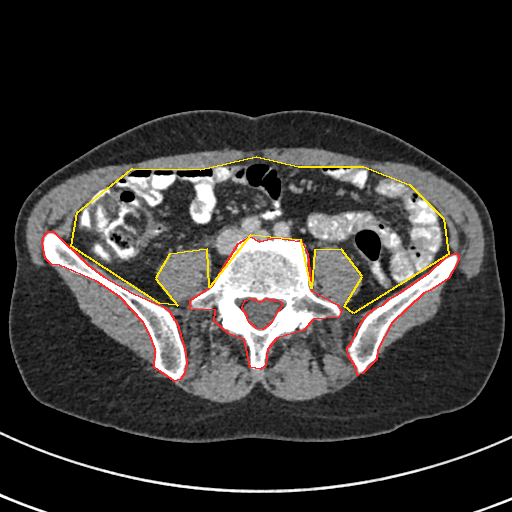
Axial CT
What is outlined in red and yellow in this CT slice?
red: bones; yellow: abdominal cavity.
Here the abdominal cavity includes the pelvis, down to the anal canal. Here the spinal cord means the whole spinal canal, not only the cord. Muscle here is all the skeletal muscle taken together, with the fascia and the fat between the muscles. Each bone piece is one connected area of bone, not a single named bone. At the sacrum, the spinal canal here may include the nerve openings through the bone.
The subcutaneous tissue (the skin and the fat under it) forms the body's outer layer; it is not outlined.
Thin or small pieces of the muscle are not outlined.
{"bones":[{"outer":[[250,236],[259,241],[275,237],[301,241],[307,253],[311,290],[337,304],[341,311],[338,317],[313,319],[303,330],[276,338],[267,349],[265,365],[260,369],[250,367],[244,339],[229,334],[214,321],[215,310],[190,309],[190,300],[212,285],[238,243]],"hole":[[250,298],[252,299],[255,299],[258,301],[261,301],[266,298],[268,299],[274,299],[275,300],[280,301],[282,304],[280,308],[276,312],[271,322],[267,326],[262,329],[256,328],[249,322],[247,318],[247,316],[242,308],[242,306],[245,300]]},[[48,231],[53,231],[87,264],[103,276],[133,293],[163,306],[169,311],[177,324],[185,352],[186,363],[184,373],[180,379],[174,381],[154,367],[155,349],[150,335],[143,322],[119,296],[96,281],[59,265],[51,264],[45,258],[42,242],[44,235]],[[453,253],[456,253],[458,255],[458,260],[448,278],[430,290],[423,293],[391,323],[377,349],[376,359],[362,373],[357,375],[356,368],[348,355],[347,347],[351,343],[359,325],[366,315],[374,308],[383,304],[389,298],[397,294],[429,272],[445,257]]],"abdominal_cavity":[[[256,156],[298,166],[363,166],[409,184],[443,218],[448,254],[353,313],[344,306],[362,276],[341,249],[314,250],[311,288],[301,240],[250,235],[209,287],[207,249],[169,254],[155,278],[177,305],[159,303],[71,246],[77,212],[132,168],[200,169]]],"muscle":[[[273,147],[319,148],[370,160],[411,164],[431,171],[453,184],[466,195],[478,213],[483,228],[484,255],[477,275],[460,286],[447,288],[435,316],[413,327],[377,358],[378,349],[392,323],[423,294],[449,278],[459,255],[456,252],[449,254],[448,226],[423,191],[367,166],[330,163],[298,165],[256,155],[200,168],[132,167],[96,190],[79,208],[67,236],[70,246],[53,230],[45,232],[41,242],[44,258],[51,265],[94,281],[119,297],[142,322],[149,335],[154,349],[153,367],[169,378],[154,377],[144,370],[131,350],[90,322],[52,267],[38,268],[31,260],[26,243],[26,226],[32,209],[50,189],[74,175],[107,165],[135,163],[168,155],[225,148],[251,151]],[[323,246],[341,250],[361,276],[359,290],[345,309],[355,314],[373,308],[346,347],[357,376],[351,383],[296,401],[258,384],[244,397],[222,403],[192,395],[172,381],[183,377],[187,360],[178,324],[164,306],[178,304],[156,278],[164,259],[190,248],[209,252],[208,288],[189,300],[189,309],[215,311],[213,321],[243,339],[249,367],[260,370],[276,339],[303,331],[313,320],[342,314],[337,303],[312,290],[313,254]],[[76,252],[85,258],[89,262],[95,264],[99,268],[102,269],[108,274],[124,282],[127,282],[136,286],[142,292],[158,303],[154,302],[145,297],[139,295],[137,293],[133,292],[131,290],[116,283],[111,279],[103,275],[95,268],[87,263]]],"torso":[[[194,109],[251,116],[307,109],[355,119],[419,148],[478,193],[493,225],[505,328],[495,367],[471,403],[391,432],[356,439],[246,438],[188,443],[93,423],[44,405],[30,394],[8,337],[16,269],[14,227],[23,201],[51,173],[105,140],[156,117]]],"spinal_cord":[[[250,298],[252,299],[255,299],[258,301],[261,301],[266,298],[268,299],[274,299],[275,300],[280,301],[282,304],[280,308],[276,312],[271,322],[267,326],[262,329],[256,328],[249,322],[247,318],[247,316],[242,308],[242,306],[245,300]]]}